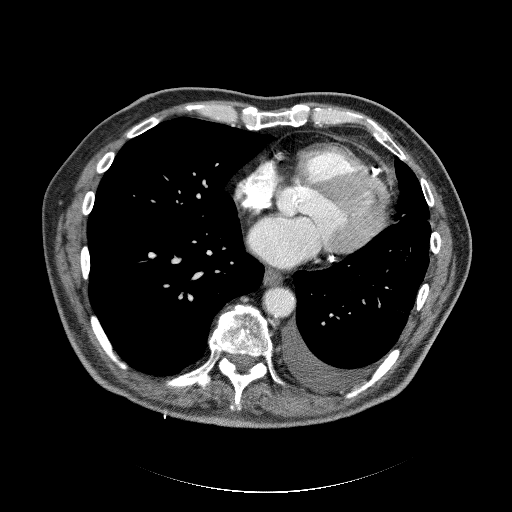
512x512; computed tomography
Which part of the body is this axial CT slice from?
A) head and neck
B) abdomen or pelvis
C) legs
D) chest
Answer: D) chest
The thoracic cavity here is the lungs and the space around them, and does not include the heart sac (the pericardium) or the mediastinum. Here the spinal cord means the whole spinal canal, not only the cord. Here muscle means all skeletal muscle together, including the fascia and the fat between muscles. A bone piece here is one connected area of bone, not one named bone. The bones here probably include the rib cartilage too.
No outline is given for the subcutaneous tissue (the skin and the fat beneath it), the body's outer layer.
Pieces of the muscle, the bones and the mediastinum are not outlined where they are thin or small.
{"pericardium":[[[300,130],[340,133],[363,142],[381,158],[391,172],[395,182],[397,195],[393,204],[393,213],[391,215],[390,223],[363,246],[329,265],[304,265],[293,271],[286,272],[269,267],[262,263],[246,249],[240,219],[230,186],[249,164],[264,150],[286,134]]],"torso":[[[177,87],[222,88],[262,96],[312,91],[353,94],[399,115],[435,152],[467,218],[471,263],[457,301],[415,375],[397,395],[331,422],[235,428],[164,416],[104,389],[84,369],[66,337],[48,281],[41,231],[43,196],[55,172],[97,124],[141,96]]],"bones":[{"outer":[[235,303],[252,305],[267,319],[273,365],[286,384],[276,383],[268,372],[252,380],[241,393],[239,410],[230,409],[235,390],[229,378],[216,366],[210,371],[210,382],[204,388],[196,383],[184,387],[166,386],[167,379],[207,359],[208,338],[217,317]],"hole":[[233,354],[246,354],[247,355],[249,355],[250,356],[251,356],[252,357],[253,357],[255,359],[255,362],[254,363],[254,364],[251,367],[250,367],[248,369],[248,370],[246,372],[240,372],[237,370],[237,369],[236,368],[236,366],[230,360],[230,356]]},[[199,103],[225,104],[239,108],[253,105],[266,111],[279,111],[297,103],[306,103],[312,107],[350,110],[375,120],[407,156],[409,163],[397,157],[360,124],[317,126],[307,123],[249,130],[236,123],[219,122],[195,111],[185,111],[182,108],[184,105]],[[394,348],[399,348],[400,353],[395,362],[391,366],[391,367],[372,385],[369,386],[366,389],[363,390],[356,395],[349,398],[346,398],[344,396],[345,394],[349,392],[354,387],[359,386],[366,381],[376,370],[378,366],[383,361],[387,354]],[[91,314],[94,314],[98,319],[107,338],[109,340],[112,346],[113,350],[119,356],[120,359],[127,364],[127,368],[126,369],[123,369],[119,367],[111,359],[111,358],[106,353],[106,352],[101,346],[92,329],[92,327],[90,323],[90,315]],[[152,115],[155,115],[156,116],[162,116],[162,120],[159,123],[158,123],[153,127],[146,130],[144,132],[143,132],[132,138],[130,138],[129,139],[125,136],[125,134],[132,127],[133,127],[138,123],[141,122],[143,120],[146,119],[148,117],[149,117]],[[83,245],[87,245],[87,247],[88,248],[88,252],[89,253],[89,274],[88,275],[88,279],[87,280],[85,280],[83,278],[83,276],[82,275],[82,271],[81,270],[81,264],[80,263],[80,252],[81,251],[81,248],[82,247],[82,246]],[[111,150],[115,152],[115,155],[113,158],[113,160],[111,164],[109,166],[109,167],[102,174],[100,173],[98,173],[96,171],[96,166],[97,165],[97,163],[98,161],[103,156],[103,155],[105,153]],[[424,282],[426,282],[428,283],[429,285],[429,292],[426,297],[426,299],[424,303],[422,305],[420,309],[418,311],[417,311],[415,309],[415,301],[416,300],[416,297],[417,296],[417,293],[418,292],[418,290],[420,286]],[[89,190],[92,190],[95,193],[95,195],[94,196],[94,201],[93,202],[93,206],[91,209],[91,211],[89,213],[89,214],[87,216],[86,216],[85,215],[84,215],[82,212],[82,203],[83,202],[83,199],[84,198],[84,196],[85,195],[86,192]],[[421,177],[423,177],[427,181],[429,185],[429,187],[431,190],[431,192],[433,195],[434,204],[432,207],[429,207],[428,206],[426,202],[426,200],[424,197],[424,195],[422,191],[422,188],[420,184],[420,181],[419,180],[419,179]]],"thoracic_cavity":[[[181,116],[236,124],[274,139],[238,169],[223,188],[235,205],[245,249],[263,266],[261,282],[256,289],[232,298],[219,312],[207,338],[209,352],[203,362],[176,375],[160,376],[124,361],[94,312],[88,293],[87,223],[102,176],[124,144],[162,121]],[[396,157],[407,164],[418,179],[429,211],[429,261],[423,281],[399,337],[371,375],[347,392],[316,393],[294,383],[286,375],[279,363],[272,340],[296,312],[297,296],[293,275],[299,270],[328,268],[334,262],[363,247],[396,221],[394,216],[399,197]]],"mediastinum":[[[263,264],[269,268],[286,273],[293,272],[304,266],[329,266],[313,270],[299,269],[293,273],[292,282],[296,296],[295,312],[273,339],[269,329],[268,319],[254,305],[235,302],[227,305],[222,310],[232,299],[256,290],[259,287],[264,274]],[[307,124],[312,124],[317,127],[342,124],[359,126],[369,132],[377,142],[395,156],[394,167],[398,186],[398,197],[393,216],[393,220],[395,221],[392,223],[391,222],[398,191],[392,172],[384,163],[382,158],[363,141],[340,132],[300,129],[286,133],[264,149],[233,180],[229,186],[231,196],[225,190],[224,188],[232,176],[258,154],[268,143],[275,139],[275,137],[270,134],[263,134],[255,131],[276,126],[299,127]]],"muscle":[[[380,124],[409,152],[440,195],[452,235],[455,279],[450,294],[424,338],[378,389],[334,413],[285,417],[266,411],[260,414],[226,412],[210,407],[163,403],[128,389],[104,370],[62,286],[54,245],[59,216],[84,167],[109,141],[131,127],[124,134],[127,141],[118,151],[108,150],[97,161],[95,171],[102,175],[101,178],[95,192],[87,190],[81,203],[81,212],[87,217],[87,244],[80,248],[79,263],[94,313],[89,315],[89,323],[110,359],[123,370],[128,365],[153,376],[173,376],[167,378],[164,385],[177,388],[196,384],[204,389],[211,382],[210,373],[216,367],[233,387],[231,411],[242,408],[242,393],[248,384],[267,373],[276,384],[287,384],[275,368],[274,349],[285,375],[294,384],[316,394],[345,393],[343,396],[349,399],[380,379],[401,353],[400,348],[394,346],[412,309],[414,306],[418,312],[427,299],[430,285],[424,278],[430,252],[436,255],[442,244],[440,233],[432,230],[429,220],[429,208],[434,206],[435,200],[428,181],[423,176],[417,177],[408,165],[408,156]],[[208,100],[233,100],[234,101],[241,101],[250,104],[239,107],[232,104],[216,103],[215,102],[186,103],[184,104],[181,108],[185,112],[188,113],[195,112],[199,116],[202,117],[196,117],[195,116],[189,116],[188,115],[181,115],[180,116],[176,116],[169,119],[165,119],[163,120],[163,116],[162,115],[152,114],[161,110],[163,110],[166,108],[175,105],[178,105],[182,103],[193,102],[194,101],[207,101]],[[307,101],[311,101],[312,102],[318,102],[319,103],[328,103],[329,104],[332,104],[333,105],[338,105],[339,106],[343,106],[344,107],[347,107],[350,109],[352,109],[353,110],[355,110],[356,111],[358,111],[359,112],[361,112],[363,113],[361,113],[357,111],[354,111],[350,109],[341,109],[340,108],[337,108],[336,107],[332,107],[331,106],[318,106],[317,105],[313,105],[312,106],[306,102],[302,102],[306,102]]],"spinal_cord":[[[233,354],[246,354],[247,355],[249,355],[250,356],[251,356],[252,357],[253,357],[255,359],[255,362],[254,363],[254,364],[251,367],[250,367],[248,369],[248,370],[246,372],[240,372],[237,370],[237,369],[236,368],[236,366],[230,360],[230,356]]]}